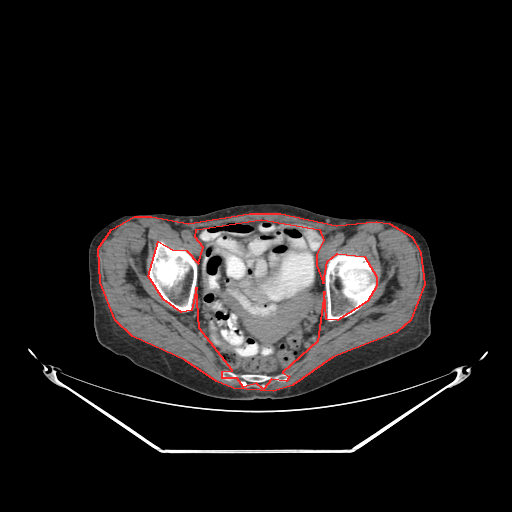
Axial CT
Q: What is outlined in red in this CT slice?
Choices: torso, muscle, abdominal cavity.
A: red: muscle.
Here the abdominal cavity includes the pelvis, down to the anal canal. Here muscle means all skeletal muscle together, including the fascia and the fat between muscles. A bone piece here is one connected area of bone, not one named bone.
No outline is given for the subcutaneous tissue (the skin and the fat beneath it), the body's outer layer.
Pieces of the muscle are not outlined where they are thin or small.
Outlines:
muscle: [[249,213],[280,213],[336,225],[376,221],[389,223],[411,236],[420,252],[424,284],[410,320],[396,332],[332,357],[292,385],[273,391],[233,388],[216,381],[185,360],[132,336],[115,320],[100,282],[98,248],[111,229],[134,216],[151,216],[188,223]] with a hole at [[261,219],[319,229],[323,240],[316,254],[316,265],[323,283],[327,261],[337,253],[364,256],[376,276],[376,286],[367,301],[337,320],[326,319],[324,291],[317,341],[282,372],[289,376],[286,381],[271,379],[263,389],[256,383],[243,387],[237,378],[222,378],[222,371],[232,370],[199,328],[196,287],[191,310],[181,312],[163,299],[148,276],[158,241],[172,249],[186,250],[198,263],[203,247],[195,237],[196,229]]
abdominal cavity: [[261,219],[311,225],[319,229],[323,238],[322,245],[316,254],[316,265],[324,288],[318,339],[288,369],[275,374],[236,372],[232,370],[219,358],[199,328],[196,320],[198,315],[198,263],[203,247],[201,241],[195,237],[195,230],[223,222],[249,222]]
bones 1: [[337,253],[347,254],[353,256],[364,256],[367,258],[376,276],[376,286],[372,294],[367,301],[355,312],[346,317],[333,321],[328,321],[326,319],[327,316],[327,298],[325,292],[324,275],[325,274],[326,264],[328,259],[330,257],[334,256]]
bones 2: [[160,240],[162,240],[168,247],[172,249],[184,249],[186,250],[191,254],[197,262],[196,287],[193,294],[193,298],[191,304],[192,307],[191,310],[188,312],[181,312],[170,306],[155,289],[148,276],[148,268],[153,258],[154,247],[157,242]]
bones 3: [[224,370],[228,370],[237,374],[256,373],[276,375],[286,373],[289,376],[288,379],[283,382],[271,379],[267,382],[267,386],[262,389],[257,387],[255,385],[257,384],[256,383],[250,383],[248,387],[243,387],[237,378],[226,380],[221,376],[221,372]]
torso: [[249,203],[285,203],[335,217],[382,218],[415,228],[428,244],[436,275],[437,294],[431,312],[430,335],[413,350],[309,393],[285,399],[251,401],[202,395],[103,347],[97,341],[93,326],[88,271],[88,247],[99,230],[127,214],[160,212],[197,215]]